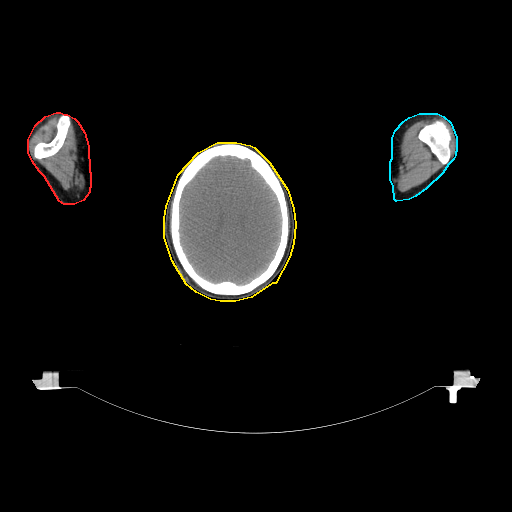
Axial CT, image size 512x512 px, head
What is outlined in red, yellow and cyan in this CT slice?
red: right arm; yellow: head; cyan: left arm.
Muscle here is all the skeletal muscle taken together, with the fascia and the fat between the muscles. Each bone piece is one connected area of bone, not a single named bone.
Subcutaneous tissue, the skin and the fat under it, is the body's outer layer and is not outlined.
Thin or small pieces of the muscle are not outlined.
{"right_arm":[[[56,112],[60,112],[64,114],[67,114],[74,118],[77,121],[84,132],[88,146],[89,171],[90,172],[90,187],[89,188],[89,192],[83,200],[74,204],[64,204],[59,201],[44,176],[39,171],[32,161],[28,152],[28,139],[35,125],[45,116]]],"head":[[[217,142],[236,142],[250,145],[254,147],[269,162],[287,189],[293,208],[295,224],[293,243],[289,257],[275,283],[272,283],[251,297],[235,301],[220,301],[210,299],[196,292],[186,284],[172,261],[164,237],[164,218],[166,206],[178,174],[198,152]]],"left_arm":[[[419,113],[437,113],[443,116],[450,122],[456,137],[456,151],[455,152],[455,155],[453,159],[448,164],[442,173],[426,188],[415,196],[409,199],[396,201],[394,199],[393,186],[390,179],[390,161],[392,158],[392,138],[395,130],[403,121],[409,117]]],"bones":[{"outer":[[225,142],[243,144],[259,153],[269,163],[280,180],[284,191],[288,212],[288,241],[283,257],[276,270],[267,280],[251,291],[238,295],[215,294],[200,287],[186,273],[180,264],[173,248],[170,235],[171,202],[182,170],[188,162],[202,150],[215,144]],"hole":[[226,156],[235,157],[241,160],[249,161],[251,167],[261,176],[274,194],[280,217],[279,239],[271,259],[266,267],[260,273],[244,283],[236,283],[231,280],[222,280],[215,282],[202,276],[194,268],[181,243],[180,203],[186,185],[212,159],[216,157]]},[[437,119],[443,120],[449,127],[450,129],[450,132],[451,133],[451,139],[449,142],[449,148],[450,149],[450,152],[451,154],[448,162],[445,164],[442,164],[433,154],[430,148],[425,143],[421,141],[418,137],[418,133],[423,125],[431,123]],[[63,114],[65,114],[69,117],[70,119],[70,124],[68,127],[67,133],[62,146],[59,150],[53,155],[44,158],[41,158],[40,159],[36,159],[33,155],[35,145],[38,142],[45,142],[47,143],[53,138],[56,133],[56,124],[57,121],[59,117]]],"brain":[[[226,156],[235,157],[241,160],[249,161],[251,167],[261,176],[274,194],[280,217],[279,239],[271,259],[266,267],[260,273],[244,283],[236,283],[231,280],[222,280],[215,282],[202,276],[194,268],[181,243],[180,203],[186,185],[212,159],[216,157]]],"muscle":[[[432,118],[436,118],[436,119],[431,122],[423,124],[417,133],[417,137],[421,142],[429,148],[432,154],[442,165],[437,171],[421,184],[405,192],[401,192],[397,189],[395,178],[398,173],[398,166],[401,161],[399,146],[402,135],[415,122],[423,119]],[[71,122],[74,127],[74,130],[77,139],[78,166],[79,167],[79,170],[82,173],[85,181],[85,184],[83,189],[77,192],[76,191],[72,193],[68,191],[65,191],[62,189],[58,181],[38,160],[53,156],[60,150],[63,146],[66,139]],[[53,117],[58,117],[56,121],[56,123],[55,124],[55,133],[54,135],[52,137],[52,138],[47,142],[45,141],[38,141],[34,145],[33,147],[33,151],[32,152],[32,149],[31,148],[31,140],[34,134],[42,125],[43,125],[49,119]]]}